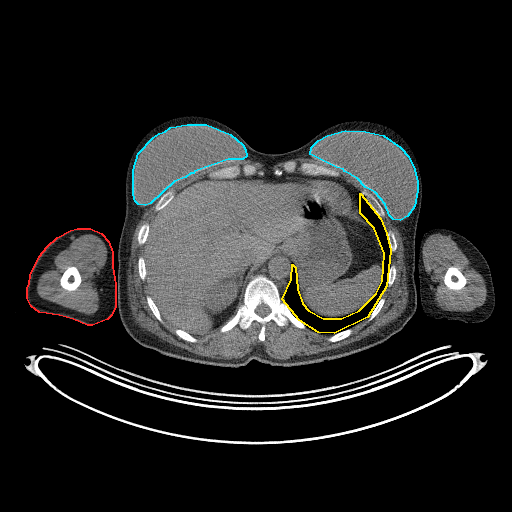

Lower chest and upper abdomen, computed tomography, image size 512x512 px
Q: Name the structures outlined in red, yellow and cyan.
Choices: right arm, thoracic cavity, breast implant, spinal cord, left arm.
A: red: right arm; yellow: thoracic cavity; cyan: breast implant.
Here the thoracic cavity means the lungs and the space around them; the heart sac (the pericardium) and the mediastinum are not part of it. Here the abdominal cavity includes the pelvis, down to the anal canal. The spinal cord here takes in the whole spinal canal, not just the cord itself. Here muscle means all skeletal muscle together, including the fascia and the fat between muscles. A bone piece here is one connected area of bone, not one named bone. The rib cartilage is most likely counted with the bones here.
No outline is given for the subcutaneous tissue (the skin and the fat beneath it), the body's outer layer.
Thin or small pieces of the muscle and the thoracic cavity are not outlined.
The right arm is outlined by 77 228; 90 228; 101 233; 108 241; 112 252; 112 266; 115 284; 115 306; 111 315; 107 319; 92 325; 87 325; 73 319; 59 315; 39 312; 31 306; 27 298; 27 288; 29 283; 30 275; 39 256; 47 246; 57 237; 70 230. The thoracic cavity is outlined by 360 193; 380 218; 386 233; 390 250; 386 286; 367 317; 334 333; 318 332; 299 320; 282 299; 291 279; 292 264; 295 267; 297 289; 302 303; 308 310; 323 318; 341 318; 359 310; 376 293; 382 281; 384 253; 374 228; 360 213. The breast implant appears in 2 outlined pieces: piece 1: 345 130; 365 131; 383 135; 400 147; 408 156; 414 169; 417 182; 417 190; 414 206; 407 216; 400 220; 393 219; 389 215; 385 204; 375 192; 365 187; 357 178; 344 171; 343 169; 336 167; 310 154; 311 147; 318 140; 327 135; piece 2: 187 124; 206 124; 230 134; 242 144; 245 149; 246 156; 242 159; 228 159; 194 171; 193 173; 190 173; 185 177; 174 181; 150 203; 145 205; 138 204; 135 201; 133 194; 133 170; 138 153; 153 137; 159 133; 165 131; 170 127. The pericardium is outlined by 317 179; 319 179; 320 180; 323 180; 324 181; 328 179; 329 180; 332 180; 335 182; 338 182; 342 184; 353 198; 353 207; 352 209; 350 210; 346 209; 343 206; 339 204; 333 198; 332 198; 322 188; 315 185; 314 182; 315 180. The abdominal cavity is outlined by 284 172; 309 176; 315 186; 346 210; 359 212; 373 228; 383 253; 383 273; 375 293; 345 316; 320 316; 303 303; 290 256; 278 251; 255 268; 235 313; 219 328; 193 335; 174 327; 162 316; 146 279; 144 244; 158 212; 201 178. The mediastinum appears in 2 outlined pieces: piece 1: 278 252; 282 252; 284 254; 286 254; 289 256; 291 260; 290 279; 284 291; 283 297; 280 293; 278 286; 270 278; 263 274; 257 274; 256 275; 255 273; 256 268; 257 268; 266 258; 269 256; 271 256; 272 254; 275 254; piece 2: 310 176; 329 176; 330 177; 337 177; 338 178; 341 178; 346 182; 351 184; 358 191; 359 191; 357 197; 357 207; 359 211; 357 212; 353 210; 354 207; 354 198; 342 183; 328 178; 324 180; 319 178; 313 179; 310 177. The left arm is outlined by 432 228; 446 228; 459 233; 467 238; 481 252; 486 259; 490 268; 495 293; 494 309; 487 319; 477 323; 466 323; 459 320; 444 318; 438 320; 431 316; 426 315; 423 312; 418 298; 419 291; 417 267; 418 251; 423 234; 427 230. The bones appear in 15 outlined pieces: piece 1: 257 275; 267 277; 277 286; 281 299; 291 313; 306 328; 299 328; 289 321; 285 326; 280 326; 270 320; 265 325; 265 339; 263 341; 258 338; 261 325; 255 320; 245 329; 237 324; 225 332; 219 330; 236 313; 243 302; 246 285; inner edge: 261 304; 265 304; 266 305; 267 305; 270 308; 270 312; 267 315; 266 315; 265 316; 260 316; 258 314; 257 314; 256 313; 256 312; 255 311; 255 309; 257 307; 257 306; 258 306; 259 305; 260 305; piece 2: 289 160; 294 160; 299 164; 303 162; 316 163; 319 165; 323 165; 326 167; 332 168; 337 171; 339 174; 337 176; 307 175; 301 173; 297 169; 294 172; 289 173; 284 171; 280 175; 275 175; 273 171; 276 169; 281 169; 284 164; piece 3: 246 164; 253 165; 258 171; 262 171; 264 173; 263 175; 259 175; 258 174; 254 174; 253 175; 239 175; 236 177; 232 177; 231 178; 216 178; 215 177; 210 177; 209 175; 210 173; 223 167; 231 166; 232 165; 243 166; piece 4: 450 266; 455 266; 457 267; 463 274; 463 275; 466 279; 466 283; 465 285; 462 288; 458 290; 454 290; 453 289; 450 289; 448 288; 447 286; 444 283; 444 275; 445 274; 445 272; 448 268; 448 267; piece 5: 69 266; 75 266; 78 269; 80 273; 80 275; 81 276; 81 282; 80 284; 77 287; 76 289; 74 290; 71 290; 70 291; 69 290; 67 290; 63 288; 60 285; 60 278; 62 274; 66 269; 66 268; piece 6: 363 190; 365 190; 366 191; 367 191; 369 193; 372 194; 378 200; 378 201; 382 206; 382 207; 385 212; 385 215; 383 217; 380 217; 378 215; 378 214; 374 210; 374 209; 372 207; 372 206; 368 201; 367 198; 362 193; 362 191; piece 7: 168 190; 173 190; 173 191; 174 192; 174 197; 171 200; 171 201; 170 201; 169 202; 169 203; 168 203; 167 204; 167 205; 166 205; 162 209; 161 209; 158 211; 156 211; 155 210; 155 204; 160 198; 160 197; 166 191; 167 191; piece 8: 146 222; 149 224; 149 231; 148 232; 148 235; 147 236; 147 239; 146 240; 145 243; 144 243; 143 244; 140 245; 138 243; 138 241; 137 240; 137 237; 138 236; 138 232; 140 229; 140 227; 144 223; 145 223; piece 9: 349 328; 351 328; 352 331; 351 333; 347 337; 345 338; 343 338; 337 341; 334 341; 333 342; 330 342; 328 341; 327 339; 332 334; 334 334; 335 333; 337 333; 338 332; 343 331; piece 10: 147 296; 150 296; 151 297; 154 303; 156 305; 157 308; 159 310; 159 312; 163 320; 162 322; 159 321; 156 318; 153 312; 149 307; 147 303; 147 300; 146 299; 146 297; piece 11: 176 328; 177 328; 178 329; 180 329; 181 330; 183 330; 184 331; 187 332; 189 334; 190 334; 191 335; 194 336; 197 339; 197 341; 196 342; 190 342; 189 341; 187 341; 186 340; 184 340; 183 339; 182 339; 175 333; 175 329; piece 12: 140 256; 142 256; 143 257; 143 259; 144 260; 144 262; 145 263; 145 268; 146 269; 146 277; 145 278; 145 279; 144 280; 142 280; 141 279; 141 278; 140 277; 140 276; 139 275; 139 272; 138 271; 138 258; piece 13: 389 230; 391 230; 393 232; 393 233; 395 236; 395 238; 396 239; 396 243; 397 244; 397 247; 396 248; 396 250; 394 252; 391 252; 391 250; 390 249; 390 247; 389 246; 389 243; 388 242; 388 239; 387 238; 387 232; piece 14: 381 297; 383 297; 385 299; 385 300; 384 301; 384 302; 383 303; 380 310; 378 312; 378 313; 371 320; 370 320; 369 321; 368 320; 368 317; 370 315; 370 314; 372 312; 372 311; 378 303; 378 302; 381 298; piece 15: 391 264; 393 264; 395 266; 395 267; 396 268; 396 275; 395 276; 395 278; 394 279; 394 281; 393 282; 393 283; 390 286; 388 286; 387 285; 387 280; 388 279; 388 275; 389 274; 389 270; 390 269; 390 266; 391 265. The muscle appears in 3 outlined pieces: piece 1: 311 156; 343 170; 375 193; 398 229; 408 291; 400 315; 359 340; 286 359; 271 357; 261 343; 239 358; 203 356; 171 344; 135 322; 127 278; 133 234; 144 211; 174 182; 204 168; 245 158; 266 166; 288 160; 281 168; 264 172; 250 163; 223 166; 210 172; 209 177; 186 184; 175 195; 173 189; 166 190; 154 204; 157 213; 151 224; 146 221; 139 227; 136 240; 144 247; 143 256; 137 258; 137 271; 140 279; 147 282; 150 294; 145 299; 155 318; 161 323; 165 320; 175 328; 178 337; 190 343; 198 341; 195 336; 217 329; 225 333; 238 325; 245 330; 253 321; 260 325; 257 338; 261 342; 266 339; 267 323; 273 321; 280 327; 289 322; 302 330; 331 334; 326 339; 333 343; 347 338; 352 327; 366 318; 371 321; 386 300; 382 296; 385 288; 394 283; 397 275; 397 268; 391 263; 391 253; 398 247; 396 236; 391 229; 386 232; 381 219; 386 212; 372 193; 365 189; 360 192; 338 177; 340 173; 332 167; 290 159; piece 2: 84 234; 93 234; 100 238; 107 250; 105 264; 95 277; 95 285; 97 288; 99 297; 99 307; 92 314; 86 314; 43 299; 37 293; 37 284; 39 277; 41 274; 54 267; 55 256; 69 246; 72 241; 70 237; 73 236; 76 238 with a hole at 69 266; 75 266; 78 269; 80 273; 80 275; 81 276; 81 282; 80 284; 77 287; 76 289; 74 290; 71 290; 70 291; 69 290; 67 290; 63 288; 60 285; 60 278; 62 274; 66 269; 66 268; piece 3: 435 233; 450 235; 458 247; 469 260; 469 265; 483 277; 487 293; 485 302; 481 306; 479 306; 471 311; 450 311; 449 310; 444 310; 437 305; 434 299; 435 296; 430 283; 429 276; 424 267; 423 253; 422 252; 425 240; 430 235 with a hole at 450 266; 455 266; 457 267; 463 274; 463 275; 466 279; 466 283; 465 285; 462 288; 458 290; 454 290; 453 289; 450 289; 448 288; 447 286; 444 283; 444 275; 445 274; 445 272; 448 268; 448 267. The spinal cord is outlined by 261 304; 265 304; 266 305; 267 305; 270 308; 270 312; 267 315; 266 315; 265 316; 260 316; 258 314; 257 314; 256 313; 256 312; 255 311; 255 309; 257 307; 257 306; 258 306; 259 305; 260 305. The torso is outlined by 186 115; 217 120; 265 153; 293 150; 326 128; 351 120; 384 124; 404 138; 419 166; 422 200; 415 235; 418 303; 398 333; 320 362; 273 366; 253 359; 239 367; 168 356; 141 346; 127 333; 116 305; 116 284; 128 163; 147 132.